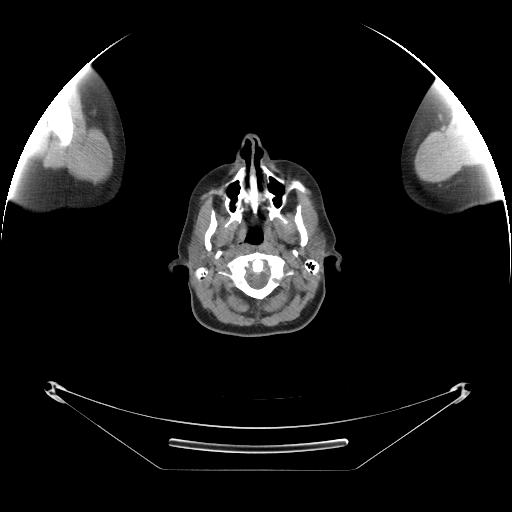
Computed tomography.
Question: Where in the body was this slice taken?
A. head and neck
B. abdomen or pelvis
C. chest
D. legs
Answer: A. head and neck
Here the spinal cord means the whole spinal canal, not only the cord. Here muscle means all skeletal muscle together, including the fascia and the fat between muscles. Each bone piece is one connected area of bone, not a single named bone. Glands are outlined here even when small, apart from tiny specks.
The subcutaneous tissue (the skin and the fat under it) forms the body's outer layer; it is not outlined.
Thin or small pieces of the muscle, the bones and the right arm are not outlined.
The right arm is outlined by 90,61 92,62 91,65 100,72 109,86 122,122 125,138 125,167 121,190 113,200 99,207 76,211 59,210 45,215 33,215 27,213 17,207 8,196 8,190 11,185 19,157 28,137 50,102 63,86. The bones appear in 8 outlined pieces: piece 1: 252,159 260,189 260,163 287,182 295,179 306,188 305,193 294,188 288,194 280,212 285,224 276,217 270,220 261,204 257,214 246,205 242,221 225,226 230,216 223,199 209,192 222,188 243,165 248,171, around holes outlined by 272,179 275,180 278,183 281,184 283,186 283,192 280,196 280,203 279,205 277,206 274,202 274,198 276,196 276,195 272,191 270,190 270,188 269,187 269,185 and by 235,182 237,182 237,184 238,185 238,191 237,192 237,194 236,195 236,199 234,203 234,209 232,210 230,207 230,204 231,203 231,199 228,195 226,190 227,188 231,184 233,184; piece 2: 255,251 266,254 278,255 286,262 286,270 289,268 292,268 294,270 294,273 292,275 285,276 280,281 280,284 262,299 257,299 248,296 237,288 229,277 217,272 219,270 224,269 225,264 235,257 252,253, around a hole outlined by 248,270 250,270 250,271 254,274 260,274 261,273 265,272 267,270 268,271 269,275 268,276 268,278 267,279 266,283 262,287 260,287 259,288 255,288 254,287 252,287 248,283 245,277 247,274; piece 3: 61,99 63,99 67,103 71,110 71,114 72,115 72,119 73,120 73,125 74,126 74,129 73,130 73,136 70,142 67,145 61,144 60,143 56,136 48,128 45,122 46,114 48,111 49,107 54,102; piece 4: 468,118 469,118 475,124 475,125 477,127 477,129 481,134 481,138 479,140 477,144 474,147 471,147 470,146 468,146 465,143 464,141 464,139 463,138 463,133 464,132 464,126; piece 5: 299,203 301,204 301,214 302,215 302,218 303,219 303,222 304,223 304,225 306,228 306,230 308,234 308,241 307,243 303,247 302,247 300,245 300,234 296,227 296,225 294,221 294,217 296,213 296,206; piece 6: 212,208 214,209 214,211 215,212 215,218 217,221 217,226 216,227 216,229 215,231 210,238 210,242 211,243 211,249 210,250 207,250 205,248 205,246 204,245 204,234 210,222 210,216 211,215 211,209; piece 7: 308,258 311,258 312,259 314,259 316,261 317,261 319,264 319,266 320,267 320,268 319,269 319,271 316,274 316,275 314,275 312,273 311,273 310,272 308,272 304,268 304,262 305,261 305,260; piece 8: 202,266 203,267 206,267 208,269 208,273 207,274 207,275 205,277 202,277 200,279 200,280 199,281 196,278 196,277 195,276 195,275 194,274 194,273 195,272 195,270 198,267 201,267. The parotid glands appear in 2 outlined pieces: piece 1: 319,224 319,226 321,230 325,235 325,238 326,239 326,243 325,244 325,249 323,252 323,255 322,257 318,259 316,259 315,258 309,257 306,255 305,253 305,247 306,245 308,244 310,236 312,235 314,230; piece 2: 192,233 196,235 196,236 199,239 200,242 204,246 204,248 206,251 206,255 207,256 206,258 207,259 207,261 205,264 201,266 194,266 190,264 189,262 188,252 187,251 187,246 190,242. The spinal cord is outlined by 248,270 250,270 250,271 254,274 260,274 261,273 265,272 267,270 268,271 269,275 268,276 268,278 267,279 266,283 262,287 260,287 259,288 255,288 254,287 252,287 248,283 245,277 247,274. The muscle appears in 3 outlined pieces: piece 1: 266,162 300,177 312,191 318,224 309,237 300,202 295,206 293,221 299,234 299,245 304,247 308,257 303,268 316,276 320,271 321,268 319,262 316,260 320,259 321,262 321,278 312,301 292,321 274,326 225,324 206,313 191,282 190,265 197,267 193,274 199,282 209,273 203,266 208,261 207,251 212,249 211,238 218,226 212,207 201,242 192,232 196,203 207,186 241,164 222,187 208,192 222,199 229,216 224,226 227,228 234,222 240,224 246,206 257,215 261,205 270,221 276,218 285,225 288,220 281,212 289,194 294,189 305,194 307,188 298,179 287,181 277,175 with holes at 255,251 266,254 278,255 286,262 286,270 289,268 292,268 294,270 294,273 292,275 285,276 280,281 280,284 262,299 257,299 248,296 237,288 229,277 217,272 219,270 224,269 225,264 235,257 252,253 and at 253,228 258,228 260,230 261,230 261,232 262,233 262,239 261,240 261,241 259,243 252,243 251,242 250,242 249,241 247,241 246,240 246,236 247,235 247,234 248,233 248,232 249,231 249,230 250,230; piece 2: 71,79 75,79 93,103 110,140 113,169 111,170 108,176 105,179 99,181 98,183 95,183 93,185 89,185 74,177 63,175 54,169 42,167 30,157 22,153 24,145 36,123 50,102 63,86; inner edge: 61,99 63,99 67,103 71,110 71,114 72,115 72,119 73,120 73,125 74,126 74,129 73,130 73,136 70,142 67,145 61,144 60,143 56,136 48,128 45,122 46,114 48,111 49,107 54,102; piece 3: 457,98 472,119 468,117 463,126 462,138 464,143 468,147 474,148 478,144 482,136 493,162 459,181 451,183 426,185 418,181 415,176 414,168 416,152 422,141 426,138 430,131 438,122 444,109 452,104. The left arm is outlined by 436,79 440,79 448,86 474,122 488,148 499,177 501,188 504,192 504,196 501,199 498,199 487,205 475,206 453,215 441,215 433,213 414,203 406,195 402,187 400,177 400,154 405,134 420,101 433,81. The head and neck is outlined by 250,132 270,158 293,161 314,177 335,233 335,249 342,256 340,272 333,256 324,259 325,296 306,326 260,337 222,334 200,324 191,310 188,269 177,265 171,274 168,270 178,256 195,184 211,169 232,162 with holes at 272,179 275,180 278,183 281,184 283,186 283,192 280,196 280,203 279,205 277,206 274,202 274,198 276,196 276,195 272,191 270,190 270,188 269,187 269,185 and at 253,228 258,228 260,230 261,230 261,232 262,233 262,239 261,240 261,241 259,243 252,243 251,242 250,242 249,241 247,241 246,240 246,236 247,235 247,234 248,233 248,232 249,231 249,230 250,230 and at 235,182 237,182 237,184 238,185 238,191 237,192 237,194 236,195 236,199 234,203 234,209 232,210 230,207 230,204 231,203 231,199 228,195 226,190 227,188 231,184 233,184 and at 256,146 261,152 261,154 259,158 259,164 258,165 260,172 261,173 261,183 260,184 261,187 260,188 260,186 259,185 259,181 257,176 257,172 256,171 256,167 254,163 254,157 256,152 and at 247,141 248,141 250,144 250,151 249,152 249,156 250,157 250,163 249,164 249,167 248,168 248,170 248,169 247,168 247,166 246,165 246,159 242,155 242,154 241,153 242,152 242,151 245,146 245,143.